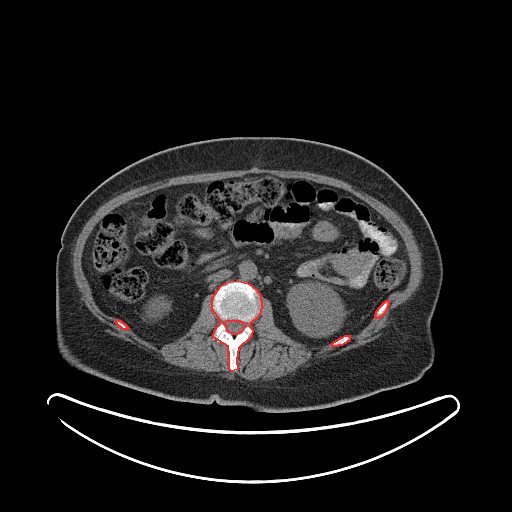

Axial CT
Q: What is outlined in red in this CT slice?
A: red: bones.
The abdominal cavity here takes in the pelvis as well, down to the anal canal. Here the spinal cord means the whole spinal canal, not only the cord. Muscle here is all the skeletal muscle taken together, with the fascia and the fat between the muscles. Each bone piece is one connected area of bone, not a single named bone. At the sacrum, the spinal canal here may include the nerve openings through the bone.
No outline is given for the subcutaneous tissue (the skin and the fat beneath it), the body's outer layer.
The bones appear in 4 outlined pieces: piece 1: (237, 280) (248, 283) (256, 289) (260, 295) (261, 306) (259, 315) (249, 324) (252, 329) (251, 336) (238, 348) (236, 359) (237, 369) (231, 371) (229, 369) (228, 346) (213, 337) (214, 330) (221, 321) (212, 309) (212, 301) (214, 294) (221, 285) (229, 281) with a hole at (227, 320) (239, 320) (240, 321) (241, 321) (242, 322) (245, 323) (245, 325) (243, 327) (242, 330) (240, 332) (239, 332) (236, 334) (233, 334) (232, 333) (229, 332) (227, 330) (227, 328) (226, 327) (226, 326) (224, 323) (224, 322); piece 2: (386, 300) (388, 300) (388, 305) (387, 306) (387, 307) (386, 308) (386, 310) (385, 311) (385, 312) (380, 317) (378, 317) (377, 318) (376, 318) (375, 317) (375, 314) (376, 313) (376, 311) (378, 309) (378, 308) (383, 303) (383, 302) (384, 302); piece 3: (345, 335) (349, 335) (349, 336) (350, 337) (349, 338) (349, 340) (348, 341) (347, 341) (345, 343) (344, 343) (341, 345) (338, 345) (337, 346) (332, 346) (331, 345) (331, 344) (334, 341) (335, 341) (336, 340) (337, 340) (339, 338) (340, 338) (341, 337) (342, 337); piece 4: (117, 319) (118, 320) (120, 320) (123, 323) (124, 323) (127, 326) (127, 327) (128, 328) (127, 329) (123, 329) (120, 326) (119, 326) (117, 324) (117, 323) (116, 322) (116, 320). The torso is outlined by (240, 136) (300, 138) (346, 149) (381, 167) (419, 207) (443, 262) (442, 286) (431, 319) (435, 357) (419, 380) (331, 407) (275, 413) (215, 401) (200, 404) (171, 400) (96, 377) (62, 360) (55, 343) (55, 263) (61, 234) (76, 207) (106, 179) (151, 154) (192, 142). The spinal cord is outlined by (227, 320) (239, 320) (240, 321) (241, 321) (242, 322) (245, 323) (245, 325) (243, 327) (242, 330) (240, 332) (239, 332) (236, 334) (233, 334) (232, 333) (229, 332) (227, 330) (227, 328) (226, 327) (226, 326) (224, 323) (224, 322). The muscle is outlined by (253, 166) (258, 166) (260, 168) (265, 168) (266, 169) (283, 169) (284, 170) (309, 171) (341, 179) (351, 184) (354, 187) (375, 197) (387, 206) (396, 211) (412, 230) (412, 233) (421, 253) (422, 270) (423, 271) (423, 276) (421, 280) (421, 283) (418, 289) (409, 300) (398, 306) (391, 312) (389, 318) (389, 323) (381, 331) (382, 334) (379, 337) (370, 342) (366, 343) (364, 345) (350, 349) (339, 355) (335, 355) (325, 359) (321, 359) (318, 362) (315, 363) (314, 362) (307, 367) (299, 367) (295, 372) (290, 373) (285, 376) (267, 381) (250, 381) (242, 378) (243, 377) (238, 375) (237, 373) (218, 373) (217, 374) (214, 373) (204, 373) (203, 372) (187, 370) (173, 365) (170, 365) (166, 362) (160, 360) (157, 357) (154, 356) (152, 353) (106, 332) (104, 330) (106, 326) (91, 313) (80, 299) (80, 295) (81, 294) (75, 284) (72, 271) (73, 270) (72, 269) (72, 251) (74, 247) (74, 244) (79, 233) (82, 229) (82, 227) (94, 213) (95, 210) (100, 205) (109, 200) (112, 197) (122, 192) (155, 181) (179, 175) (185, 175) (192, 173) (249, 169), around a hole outlined by (263, 173) (345, 190) (396, 230) (409, 275) (380, 317) (341, 345) (311, 347) (275, 324) (272, 304) (261, 296) (251, 336) (231, 371) (228, 346) (213, 337) (221, 321) (213, 293) (203, 298) (187, 331) (161, 345) (123, 329) (100, 308) (82, 257) (106, 214) (170, 186). The abdominal cavity is outlined by (263, 173) (345, 190) (381, 215) (401, 237) (409, 260) (407, 282) (382, 302) (363, 328) (331, 343) (308, 346) (280, 329) (270, 300) (239, 279) (226, 281) (207, 294) (187, 331) (161, 345) (140, 336) (100, 308) (84, 273) (82, 257) (90, 234) (106, 214) (170, 186).